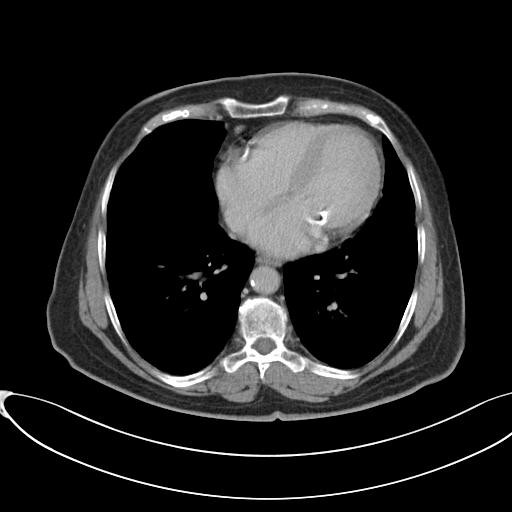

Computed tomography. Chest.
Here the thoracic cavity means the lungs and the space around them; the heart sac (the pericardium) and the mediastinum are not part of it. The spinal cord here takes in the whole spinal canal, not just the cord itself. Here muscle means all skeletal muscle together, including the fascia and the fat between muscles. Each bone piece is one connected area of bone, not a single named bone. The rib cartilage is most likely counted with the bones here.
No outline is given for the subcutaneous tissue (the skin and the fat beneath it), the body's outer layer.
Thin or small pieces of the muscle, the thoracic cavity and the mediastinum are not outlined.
The muscle appears in 5 outlined pieces: piece 1: [[393,133],[417,170],[431,208],[442,265],[444,305],[441,318],[416,351],[395,367],[350,391],[331,396],[321,402],[291,399],[268,386],[262,386],[255,398],[249,402],[229,401],[219,395],[185,395],[150,382],[132,372],[80,320],[78,287],[85,259],[85,244],[97,195],[107,174],[100,198],[100,212],[106,216],[106,232],[99,228],[96,235],[98,265],[101,272],[106,273],[109,287],[109,292],[107,290],[103,294],[103,301],[116,334],[125,345],[128,342],[144,360],[155,367],[149,370],[153,376],[176,388],[186,388],[210,379],[216,374],[216,370],[209,365],[231,343],[237,333],[243,341],[241,346],[218,361],[227,373],[235,372],[247,362],[254,362],[259,378],[263,381],[270,364],[280,362],[293,373],[307,369],[318,376],[340,380],[360,377],[363,373],[352,369],[359,368],[372,360],[392,340],[394,346],[408,327],[418,299],[418,289],[414,287],[417,263],[424,262],[426,252],[425,227],[420,223],[416,227],[415,224],[415,210],[422,208],[419,184],[413,165],[407,162],[404,166],[396,152]]; piece 2: [[283,94],[293,94],[294,95],[306,96],[307,97],[314,97],[315,98],[327,98],[334,101],[343,101],[351,102],[352,103],[362,105],[374,111],[376,113],[366,108],[363,108],[353,104],[347,104],[342,102],[338,102],[337,101],[333,101],[327,99],[322,99],[321,98],[311,98],[310,99],[306,99],[305,100],[300,100],[298,101],[295,104],[294,107],[294,110],[297,113],[294,113],[288,111],[291,105],[291,97],[288,94]]; piece 3: [[140,129],[140,132],[142,135],[142,137],[141,139],[138,142],[138,143],[136,145],[134,149],[125,158],[125,159],[119,166],[118,169],[116,165],[114,165],[110,169],[112,164],[114,162],[116,158],[132,141],[133,138],[136,135],[136,134],[139,131]]; piece 4: [[289,330],[291,332],[291,334],[298,340],[298,341],[302,345],[302,346],[313,357],[314,357],[317,360],[313,360],[309,357],[300,353],[298,351],[288,347],[286,345],[285,343],[285,339],[286,338],[286,336]]; piece 5: [[214,99],[216,99],[214,101],[214,104],[211,106],[208,106],[207,107],[203,107],[202,106],[199,106],[198,105],[192,105],[191,106],[187,106],[186,105],[182,107],[175,107],[174,108],[169,109],[166,111],[164,111],[162,112],[159,115],[150,119],[159,112],[165,109],[167,109],[168,108],[173,107],[176,105],[179,105],[180,104],[188,104],[189,103],[201,103],[202,102],[207,102],[210,100],[213,100]]. The spinal cord is outlined by [[259,338],[269,338],[270,339],[271,339],[273,341],[273,342],[274,343],[275,346],[269,352],[263,354],[262,353],[259,352],[255,348],[254,348],[253,347],[253,345],[254,344],[254,343]]. The bones appear in 10 outlined pieces: piece 1: [[257,296],[267,297],[287,310],[284,343],[288,348],[313,361],[355,370],[361,375],[340,379],[318,375],[307,368],[293,372],[280,361],[269,364],[263,380],[254,361],[227,372],[219,364],[220,359],[238,350],[244,342],[238,333],[238,308],[247,298]] with a hole at [[259,338],[269,338],[270,339],[271,339],[273,341],[273,342],[274,343],[275,346],[269,352],[263,354],[262,353],[259,352],[255,348],[254,348],[253,347],[253,345],[254,344],[254,343]]; piece 2: [[280,95],[290,97],[290,105],[287,111],[281,115],[234,118],[222,111],[220,116],[216,118],[180,118],[164,123],[144,136],[141,132],[142,127],[150,120],[175,108],[186,106],[207,108],[213,106],[217,99],[223,97],[230,97],[247,103],[263,103]]; piece 3: [[311,99],[321,99],[347,105],[353,105],[366,109],[379,115],[384,120],[391,131],[394,138],[394,144],[393,145],[388,138],[379,130],[372,127],[365,121],[354,115],[341,112],[328,112],[316,115],[302,115],[298,113],[295,110],[296,104],[300,101]]; piece 4: [[207,366],[211,369],[213,368],[215,370],[215,374],[210,378],[200,381],[197,383],[194,383],[186,387],[176,387],[170,384],[168,384],[162,381],[150,372],[151,369],[156,368],[160,371],[172,375],[183,376],[184,375],[187,375],[188,374],[197,372]]; piece 5: [[415,287],[417,289],[417,299],[416,300],[416,303],[415,304],[415,307],[414,308],[413,313],[408,323],[408,325],[405,329],[403,334],[399,340],[394,345],[393,345],[393,338],[398,329],[400,321],[402,318],[405,308],[411,295],[412,290],[413,288]]; piece 6: [[107,291],[111,297],[121,328],[127,340],[127,343],[126,344],[125,344],[119,337],[116,331],[114,329],[114,327],[110,320],[110,318],[106,308],[106,305],[104,301],[104,294],[105,292]]; piece 7: [[407,163],[410,163],[412,165],[414,170],[415,177],[418,184],[418,187],[420,192],[420,196],[421,197],[421,208],[420,209],[416,208],[415,206],[414,196],[413,195],[413,193],[409,183],[407,172],[405,168],[405,166]]; piece 8: [[114,166],[116,166],[117,170],[116,171],[116,173],[113,180],[113,183],[112,184],[111,190],[109,194],[109,198],[107,202],[107,209],[106,210],[106,215],[104,216],[101,212],[101,198],[102,197],[104,186],[105,185],[108,174],[110,170]]; piece 9: [[99,229],[102,229],[104,231],[104,232],[105,233],[105,245],[106,246],[106,248],[105,249],[105,271],[104,272],[102,272],[102,271],[100,268],[100,266],[99,265],[99,260],[98,259],[98,252],[97,251],[97,235],[98,234],[98,230]]; piece 10: [[419,224],[420,224],[421,225],[422,225],[424,227],[424,230],[425,231],[425,252],[424,253],[424,258],[423,259],[423,262],[422,263],[419,263],[418,262],[418,257],[417,256],[417,229],[416,228],[417,227],[417,226]]. The mediastinum appears in 4 outlined pieces: piece 1: [[252,249],[258,254],[269,260],[274,260],[278,262],[291,261],[286,262],[282,268],[284,298],[285,299],[286,308],[273,299],[267,296],[262,296],[261,295],[249,296],[241,302],[241,292],[254,264],[255,253]]; piece 2: [[288,112],[301,115],[297,117],[271,119],[252,127],[245,135],[238,136],[226,143],[217,155],[217,161],[215,164],[212,178],[214,158],[226,135],[226,130],[224,128],[223,122],[218,119],[213,119],[225,115],[234,119],[273,117],[281,116]]; piece 3: [[328,113],[341,113],[342,114],[346,114],[347,115],[350,115],[359,118],[372,128],[379,131],[382,134],[382,143],[381,144],[380,139],[371,129],[357,121],[348,119],[347,118],[343,118],[342,117],[310,117],[310,116],[316,116],[317,115],[327,114]]; piece 4: [[218,206],[219,206],[219,211],[226,225],[226,227],[229,233],[229,235],[232,238],[234,239],[237,239],[240,241],[238,241],[235,239],[233,239],[231,238],[219,225],[217,221],[217,219],[218,218],[217,216],[218,214]]. The torso is outlined by [[289,71],[341,77],[379,91],[413,118],[431,146],[449,194],[464,281],[466,342],[453,370],[443,379],[411,394],[359,411],[311,419],[241,421],[156,406],[73,368],[51,343],[46,305],[64,237],[92,159],[108,129],[128,107],[160,90],[226,76]]. The thoracic cavity appears in 2 outlined pieces: piece 1: [[180,119],[222,122],[225,135],[213,158],[211,172],[218,205],[216,221],[231,239],[246,245],[254,253],[251,270],[240,292],[237,332],[211,363],[183,375],[160,370],[144,359],[130,344],[110,294],[106,272],[107,210],[117,171],[143,137],[164,124]]; piece 2: [[383,135],[393,146],[405,169],[414,201],[417,262],[413,287],[397,329],[387,345],[372,359],[359,367],[339,368],[319,361],[288,328],[289,313],[285,298],[283,268],[288,262],[339,248],[343,242],[352,238],[370,217],[383,195],[385,175]]. The pericardium is outlined by [[299,116],[342,118],[357,122],[371,130],[379,139],[383,153],[383,187],[381,196],[371,214],[351,237],[320,253],[278,261],[266,258],[230,235],[220,211],[213,176],[218,155],[226,144],[238,137],[245,136],[252,128],[271,120],[297,118]].